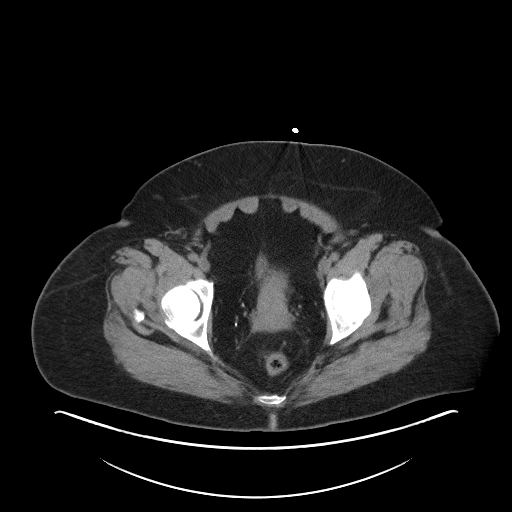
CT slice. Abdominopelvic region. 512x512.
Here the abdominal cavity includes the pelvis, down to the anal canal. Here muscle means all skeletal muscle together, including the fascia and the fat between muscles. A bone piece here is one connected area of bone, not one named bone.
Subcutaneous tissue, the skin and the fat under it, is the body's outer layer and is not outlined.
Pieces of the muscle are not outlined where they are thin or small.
The abdominal cavity is outlined by 261 199; 279 200; 286 212; 298 209; 302 217; 333 234; 317 263; 326 282; 321 295; 326 314; 321 349; 303 371; 275 392; 257 388; 215 349; 215 287; 207 277; 211 268; 200 241; 204 230; 208 235; 214 233; 236 208; 255 212. The bones appear in 4 outlined pieces: piece 1: 197 278; 207 279; 213 282; 214 287; 213 300; 211 306; 211 312; 207 320; 206 332; 207 340; 212 349; 214 357; 211 357; 199 346; 168 327; 164 322; 165 315; 160 307; 161 298; 166 291; 175 285; 184 283; 190 279; piece 2: 355 270; 358 270; 362 273; 371 301; 371 311; 369 315; 364 319; 361 325; 353 332; 334 344; 330 345; 328 343; 331 338; 332 332; 331 325; 327 317; 324 306; 322 295; 323 290; 327 281; 331 278; 341 277; 345 279; 350 277; piece 3: 264 394; 266 395; 269 395; 270 394; 277 394; 278 395; 285 395; 286 397; 285 399; 278 405; 275 405; 274 404; 271 404; 270 405; 268 405; 267 404; 264 404; 263 403; 259 403; 254 399; 254 396; 257 396; 258 395; 263 395; piece 4: 136 308; 137 309; 139 309; 140 310; 141 310; 142 311; 143 311; 143 312; 144 313; 144 319; 141 322; 140 322; 139 323; 136 323; 134 321; 134 320; 133 319; 133 311; 134 310; 134 309; 135 309. The muscle is outlined by 269 191; 312 202; 347 229; 397 235; 417 245; 427 267; 425 299; 431 335; 426 349; 400 370; 376 381; 316 402; 277 409; 223 403; 132 378; 114 362; 103 335; 105 283; 113 269; 111 255; 135 238; 184 244; 192 228; 211 210, around holes outlined by 261 199; 298 209; 332 233; 319 274; 326 282; 360 271; 371 301; 361 325; 332 345; 326 316; 321 349; 275 392; 260 390; 221 357; 212 310; 211 357; 168 327; 160 307; 173 286; 208 278; 204 230; 214 233; 236 208; 255 212 and by 264 394; 266 395; 269 395; 270 394; 277 394; 278 395; 285 395; 286 397; 285 399; 278 405; 275 405; 274 404; 271 404; 270 405; 268 405; 267 404; 264 404; 263 403; 259 403; 254 399; 254 396; 257 396; 258 395; 263 395 and by 136 308; 137 309; 139 309; 140 310; 141 310; 142 311; 143 311; 143 312; 144 313; 144 319; 141 322; 140 322; 139 323; 136 323; 134 321; 134 320; 133 319; 133 311; 134 310; 134 309; 135 309. The torso is outlined by 246 140; 350 147; 397 168; 429 194; 443 218; 439 231; 466 256; 499 318; 499 332; 471 390; 317 428; 241 432; 169 423; 69 396; 44 380; 33 357; 31 319; 41 289; 62 258; 88 234; 117 221; 135 191; 157 172; 198 152.